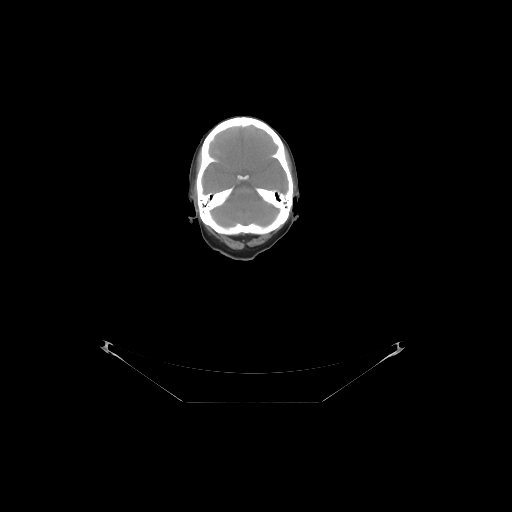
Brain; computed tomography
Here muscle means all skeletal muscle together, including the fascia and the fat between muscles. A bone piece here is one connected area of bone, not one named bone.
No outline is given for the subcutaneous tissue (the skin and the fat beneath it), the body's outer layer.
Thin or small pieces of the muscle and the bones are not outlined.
{"bones":[{"outer":[[236,116],[253,117],[267,123],[278,134],[284,144],[285,157],[293,181],[293,203],[286,221],[278,228],[265,234],[221,234],[215,231],[210,226],[204,224],[199,216],[197,206],[196,175],[201,162],[201,145],[207,134],[214,126],[226,119]],"hole":[[250,126],[263,131],[275,146],[270,156],[277,160],[284,173],[285,189],[254,188],[276,210],[267,223],[223,224],[212,211],[226,201],[234,188],[230,186],[213,192],[205,191],[205,171],[217,161],[210,153],[211,144],[218,134],[228,129]]}],"muscle":[[[204,225],[206,225],[210,227],[218,234],[226,235],[227,236],[237,236],[240,234],[244,234],[245,235],[265,235],[278,229],[283,225],[275,234],[262,244],[260,244],[251,248],[243,249],[242,250],[235,250],[228,247],[225,244],[212,236],[207,231]],[[199,151],[199,154],[200,155],[200,162],[199,163],[198,169],[195,175],[195,191],[196,192],[196,202],[192,196],[192,194],[191,193],[191,188],[192,187],[192,183],[193,182],[194,174],[195,173],[195,165],[196,164],[196,159],[197,158],[197,155]],[[285,146],[288,151],[288,153],[291,160],[292,167],[293,168],[293,172],[294,173],[294,179],[295,180],[295,184],[296,185],[296,191],[294,195],[294,181],[293,180],[292,173],[291,172],[291,170],[290,169],[290,167],[286,157],[286,149],[285,148]]],"brain":[{"outer":[[250,126],[263,131],[275,146],[270,156],[277,160],[284,173],[285,189],[254,188],[276,210],[267,223],[223,224],[212,211],[226,201],[234,188],[230,186],[213,192],[205,191],[205,171],[217,161],[210,153],[211,144],[218,134],[228,129]],"hole":[[239,174],[240,174],[241,175],[244,175],[245,174],[247,174],[248,175],[248,178],[246,180],[240,180],[239,179],[238,179],[238,178],[237,177],[237,175],[238,175]]}],"head":[[[236,115],[260,118],[286,138],[295,158],[301,194],[299,218],[272,247],[251,260],[232,259],[212,250],[203,240],[197,220],[194,219],[190,223],[187,218],[188,215],[192,216],[195,212],[193,205],[187,200],[187,187],[190,162],[198,140],[224,118]]]}